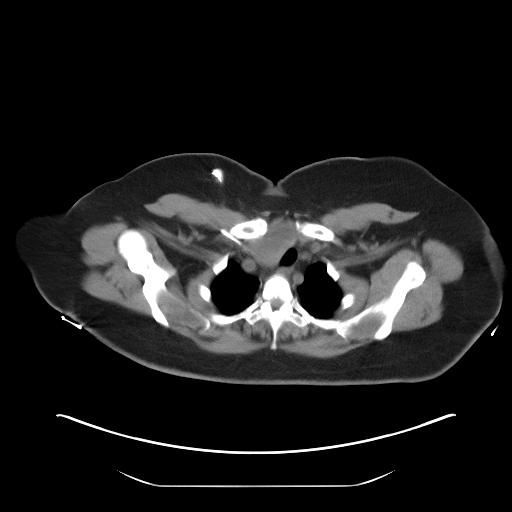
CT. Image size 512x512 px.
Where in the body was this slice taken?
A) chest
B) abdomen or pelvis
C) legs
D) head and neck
A) chest
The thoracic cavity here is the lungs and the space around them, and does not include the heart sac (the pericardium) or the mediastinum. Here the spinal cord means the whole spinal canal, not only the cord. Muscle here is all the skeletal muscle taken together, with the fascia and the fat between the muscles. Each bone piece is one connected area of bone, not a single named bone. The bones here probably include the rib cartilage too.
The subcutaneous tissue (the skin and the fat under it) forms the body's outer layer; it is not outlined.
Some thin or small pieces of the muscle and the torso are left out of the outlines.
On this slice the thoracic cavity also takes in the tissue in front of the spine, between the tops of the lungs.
The bones appear in 8 outlined pieces: piece 1: (412, 260) (425, 279) (406, 294) (382, 340) (373, 337) (379, 314) (362, 318) (346, 338) (334, 329) (286, 321) (275, 350) (264, 319) (252, 325) (244, 319) (212, 322) (204, 329) (198, 314) (240, 312) (260, 292) (259, 278) (277, 272) (311, 315) (344, 320) (386, 298); inner edge: (273, 299) (278, 299) (279, 300) (280, 300) (281, 301) (281, 304) (280, 305) (280, 306) (277, 309) (273, 309) (272, 308) (272, 307) (271, 306) (271, 301); piece 2: (130, 228) (138, 230) (143, 235) (147, 247) (157, 264) (174, 270) (174, 273) (165, 282) (167, 290) (173, 296) (161, 294) (157, 300) (160, 309) (167, 319) (168, 327) (164, 327) (153, 318) (150, 306) (142, 292) (143, 277) (132, 272) (118, 252) (117, 239) (122, 232); piece 3: (255, 217) (261, 217) (263, 218) (266, 221) (267, 223) (267, 231) (266, 233) (263, 236) (259, 238) (255, 238) (254, 239) (237, 239) (234, 236) (228, 233) (227, 230) (228, 230) (236, 223) (238, 223) (239, 222) (242, 222) (246, 220) (249, 220); piece 4: (296, 221) (299, 221) (300, 222) (308, 221) (309, 222) (318, 223) (329, 228) (333, 232) (334, 234) (334, 241) (325, 241) (324, 240) (320, 240) (319, 239) (316, 239) (315, 238) (311, 238) (310, 237) (308, 237) (307, 236) (303, 235) (296, 229) (296, 226) (295, 225); piece 5: (226, 253) (228, 253) (228, 260) (227, 261) (227, 265) (226, 266) (226, 267) (223, 270) (222, 270) (217, 275) (215, 275) (214, 274) (214, 273) (212, 270) (212, 265) (213, 264) (213, 263) (215, 261) (216, 261) (220, 257) (221, 257) (224, 254) (225, 254); piece 6: (347, 293) (352, 293) (353, 294) (354, 294) (354, 296) (355, 297) (355, 298) (354, 299) (354, 302) (353, 303) (353, 304) (349, 307) (348, 307) (345, 309) (341, 309) (340, 308) (340, 302) (341, 301) (341, 298) (344, 294) (346, 294); piece 7: (201, 283) (202, 284) (204, 284) (206, 286) (207, 286) (208, 287) (209, 287) (209, 288) (210, 289) (210, 291) (211, 292) (211, 302) (207, 302) (206, 301) (205, 301) (200, 296) (200, 295) (199, 294) (199, 293) (198, 292) (198, 286) (199, 285) (199, 284) (200, 284); piece 8: (327, 260) (329, 260) (332, 263) (332, 264) (339, 271) (339, 272) (340, 273) (340, 275) (339, 276) (339, 278) (337, 280) (337, 281) (334, 281) (332, 279) (332, 278) (327, 273) (327, 269) (326, 268) (326, 262) (327, 261). The muscle appears in 2 outlined pieces: piece 1: (167, 193) (222, 202) (242, 211) (288, 209) (321, 215) (334, 208) (365, 202) (418, 211) (414, 218) (388, 226) (388, 235) (435, 238) (453, 246) (461, 254) (463, 273) (445, 290) (441, 318) (427, 326) (391, 333) (407, 294) (421, 286) (427, 276) (424, 267) (414, 259) (406, 263) (386, 297) (347, 318) (333, 318) (336, 308) (345, 310) (356, 298) (352, 292) (343, 294) (337, 283) (340, 271) (329, 259) (325, 263) (318, 260) (290, 230) (265, 235) (267, 221) (255, 216) (236, 222) (226, 230) (237, 240) (254, 240) (244, 243) (233, 258) (226, 252) (215, 260) (211, 265) (215, 276) (210, 285) (201, 282) (197, 286) (199, 296) (207, 303) (212, 301) (219, 312) (197, 314) (204, 330) (212, 323) (225, 326) (244, 320) (252, 326) (264, 320) (271, 330) (270, 349) (249, 354) (209, 352) (165, 328) (170, 324) (158, 300) (161, 295) (174, 296) (166, 282) (175, 270) (155, 261) (138, 229) (130, 227) (122, 231) (116, 239) (116, 249) (128, 269) (142, 277) (141, 292) (152, 318) (101, 300) (80, 285) (87, 270) (80, 258) (84, 231) (115, 217) (130, 222) (149, 217) (143, 205) with a hole at (296, 221) (299, 221) (300, 222) (308, 221) (309, 222) (318, 223) (329, 228) (333, 232) (334, 234) (334, 241) (325, 241) (324, 240) (320, 240) (319, 239) (316, 239) (315, 238) (311, 238) (310, 237) (308, 237) (307, 236) (303, 235) (296, 229) (296, 226) (295, 225); piece 2: (370, 315) (379, 315) (382, 317) (379, 325) (372, 335) (374, 341) (343, 354) (329, 358) (316, 358) (276, 350) (278, 347) (278, 332) (286, 322) (289, 322) (301, 329) (304, 329) (311, 324) (323, 330) (334, 330) (338, 335) (346, 339) (350, 334) (351, 328). The torso is outlined by (181, 152) (220, 153) (274, 182) (296, 168) (334, 156) (397, 154) (421, 163) (476, 208) (503, 253) (507, 252) (508, 283) (498, 315) (443, 374) (412, 383) (234, 384) (173, 375) (129, 359) (63, 315) (98, 293) (144, 251) (143, 202) (138, 191) (122, 175) (143, 162). The thoracic cavity is outlined by (283, 231) (292, 232) (305, 244) (315, 258) (325, 264) (326, 273) (339, 287) (342, 296) (331, 317) (311, 314) (294, 292) (295, 286) (277, 271) (264, 279) (258, 278) (260, 290) (246, 307) (231, 314) (220, 312) (212, 300) (210, 288) (215, 277) (244, 244). The right arm is outlined by (120, 176) (122, 176) (137, 191) (142, 202) (143, 251) (134, 259) (127, 262) (98, 292) (71, 311) (62, 314) (53, 308) (42, 297) (37, 290) (28, 270) (18, 259) (12, 245) (13, 230) (18, 221) (27, 213) (37, 208) (47, 206) (61, 206) (67, 208) (92, 188). The spinal cord is outlined by (273, 299) (278, 299) (279, 300) (280, 300) (281, 301) (281, 304) (280, 305) (280, 306) (277, 309) (273, 309) (272, 308) (272, 307) (271, 306) (271, 301).